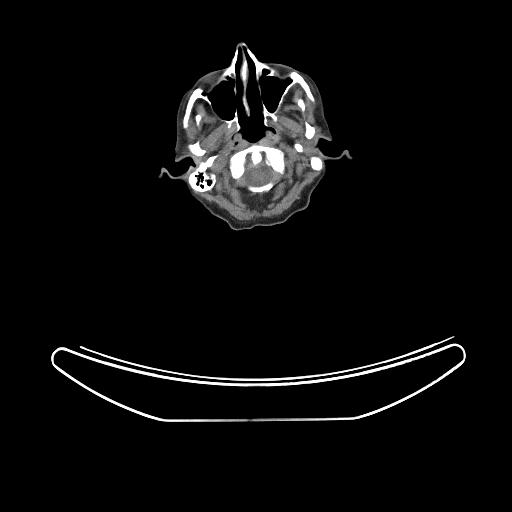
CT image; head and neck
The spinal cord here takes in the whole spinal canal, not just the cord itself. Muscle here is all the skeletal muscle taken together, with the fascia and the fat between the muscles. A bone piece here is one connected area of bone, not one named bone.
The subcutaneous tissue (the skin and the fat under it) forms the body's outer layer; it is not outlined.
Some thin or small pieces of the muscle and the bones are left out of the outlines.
spinal cord: 248,158 253,166 256,166 261,162 263,162 266,166 270,167 275,174 273,176 273,177 267,182 263,183 262,184 251,184 250,183 245,183 243,181 242,177 244,175 244,173 246,169 246,163 247,162
bones 1: 247,48 258,60 275,68 281,74 295,70 309,86 314,101 295,84 285,96 277,112 277,120 269,118 266,127 255,80 255,66 247,53 249,71 245,95 249,115 233,91 234,82 224,80 207,94 213,111 203,99 198,98 193,104 187,127 184,128 182,120 193,90 201,87 207,92 231,63 235,49 238,49 235,82 237,94 241,94 241,52; inner edge: 264,70 266,71 265,75 267,77 275,77 284,82 285,81 286,82 287,81 287,83 285,85 285,87 279,97 276,107 273,111 270,111 267,108 264,101 262,99 262,87 260,84 260,81 263,75 263,72
bones 2: 254,142 266,146 276,147 282,150 285,154 285,169 284,172 282,174 281,178 276,183 275,183 268,191 265,192 252,192 248,190 242,186 236,179 234,179 231,176 229,170 229,158 230,156 233,153 246,148, around a hole outlined by 248,158 253,166 256,166 261,162 263,162 266,166 270,167 275,174 273,176 273,177 267,182 263,183 262,184 251,184 250,183 245,183 243,181 242,177 244,175 244,173 246,169 246,163 247,162
bones 3: 213,155 215,155 216,158 214,160 213,163 206,169 206,173 208,175 211,174 214,174 215,175 215,183 212,188 209,190 206,190 205,191 195,191 192,188 188,181 189,175 200,162 205,161 210,156
bones 4: 236,108 238,108 238,120 240,125 239,132 237,132 236,131 236,124 234,122 231,124 231,127 230,128 228,128 226,125 226,123 224,121 221,121 216,116 216,114 217,114 217,115 223,120 230,120 234,116
bones 5: 198,140 199,141 199,142 200,143 200,146 205,151 205,152 201,156 197,156 196,155 194,155 189,150 189,149 188,148 188,145 189,144 192,144 193,143 194,143 196,141 197,141
bones 6: 312,156 318,156 321,159 321,160 322,161 322,168 320,170 316,170 315,169 313,169 311,167 311,166 310,165 310,158
bones 7: 305,121 306,121 310,125 311,125 313,127 314,127 314,128 315,129 315,132 314,133 314,135 312,137 312,138 311,138 310,139 309,139 308,138 307,138 305,136
muscle 1: 306,81 316,95 322,134 314,143 315,155 309,158 310,167 319,172 300,198 278,215 241,221 201,196 197,192 209,191 216,183 216,175 207,169 217,156 197,164 182,150 182,126 188,127 195,102 203,100 228,129 234,123 235,131 253,142 229,156 228,170 248,191 265,193 282,178 286,154 257,141 266,134 269,119 278,120 295,85 315,101; inner edges: 198,140 199,141 199,142 200,143 200,146 205,151 205,152 201,156 197,156 196,155 194,155 189,150 189,149 188,148 188,145 189,144 192,144 193,143 194,143 196,141 197,141, then 305,121 306,121 310,125 311,125 313,127 314,127 314,128 315,129 315,132 314,133 314,135 312,137 312,138 311,138 310,139 309,139 308,138 307,138 305,136, then 298,98 302,98 302,99 303,100 303,101 304,102 304,104 305,105 305,109 304,110 304,111 303,112 302,112 301,111 301,110 300,109 300,108 297,105 297,103 296,102 296,99 297,99, then 197,114 200,114 201,115 201,120 200,121 200,124 198,126 196,124 196,121 195,120 195,116, then 296,143 297,143 298,143 299,144 300,144 301,145 301,146 302,147 302,148 302,149 302,150 302,151 301,151 300,152 299,152 298,151 297,151 296,150 296,149 295,148 295,147 294,146 294,145 295,144
muscle 2: 214,77 218,77 217,78 217,80 214,83 213,83 211,85 211,86 209,88 209,89 207,91 206,91 206,90 203,87 202,87 201,86 199,86 204,81 205,81 208,79 210,79 211,78 213,78
head and neck: 239,41 261,62 289,65 314,80 332,135 317,146 325,155 347,149 352,157 327,160 308,206 286,221 234,230 194,198 181,179 158,175 162,167 178,175 193,163 189,157 174,160 180,100 202,75 226,68; inner edges: 247,54 254,66 254,80 262,122 267,128 265,134 256,141 249,141 242,137 238,107 235,108 230,119 223,119 214,111 208,96 221,82 232,81 235,97 238,101 240,100 245,114 250,115 246,95 250,71, then 264,70 266,71 265,75 267,77 275,77 284,82 285,81 286,82 287,81 287,83 285,85 285,87 279,97 276,107 273,111 270,111 267,108 264,101 262,99 262,87 260,84 260,81 263,75 263,72, then 239,50 241,54 241,61 240,62 240,64 238,68 238,77 240,80 240,94 239,95 238,94 238,89 237,88 237,83 236,82 237,80 237,71 236,70 236,62 237,61 237,58 239,54